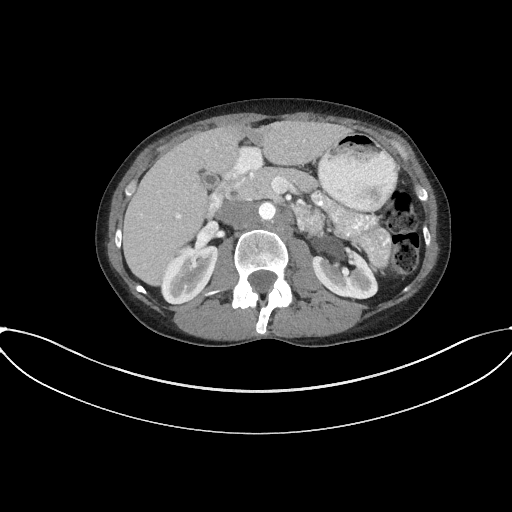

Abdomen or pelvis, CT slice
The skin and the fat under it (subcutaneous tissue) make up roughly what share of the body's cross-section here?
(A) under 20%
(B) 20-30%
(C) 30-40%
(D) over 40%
Answer: (A) under 20%
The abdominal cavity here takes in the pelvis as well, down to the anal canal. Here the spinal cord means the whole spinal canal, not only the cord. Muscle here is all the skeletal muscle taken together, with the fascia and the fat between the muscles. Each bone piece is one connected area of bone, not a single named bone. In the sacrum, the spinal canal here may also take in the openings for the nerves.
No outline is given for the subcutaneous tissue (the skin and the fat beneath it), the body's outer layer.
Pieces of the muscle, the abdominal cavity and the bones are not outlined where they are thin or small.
bones 1: (260, 334) (266, 332) (271, 311) (275, 307) (289, 305) (292, 302) (293, 295) (284, 274) (288, 262) (288, 252) (284, 242) (272, 231) (254, 229) (242, 233) (235, 245) (234, 263) (239, 277) (232, 289) (232, 306) (234, 308) (255, 308) (258, 306) (259, 313) (256, 331) with a hole at (259, 293) (266, 293) (268, 292) (271, 289) (272, 287) (272, 284) (276, 278) (276, 275) (273, 272) (271, 271) (269, 271) (268, 270) (258, 270) (257, 271) (255, 271) (253, 272) (249, 275) (248, 277) (248, 280) (250, 282) (252, 286) (252, 288) (253, 290)
bones 2: (422, 201) (426, 201) (427, 200) (427, 199) (428, 198) (428, 195) (427, 194) (427, 192) (426, 191) (426, 190) (423, 187) (422, 187) (419, 185) (415, 185) (415, 190) (416, 191) (416, 193) (417, 194) (417, 195) (418, 196) (418, 197) (419, 198) (419, 199)
bones 3: (404, 160) (406, 160) (408, 157) (408, 155) (407, 154) (407, 152) (405, 150) (404, 147) (402, 145) (401, 145) (398, 142) (397, 142) (394, 140) (392, 140) (391, 141) (391, 142) (393, 144) (393, 145) (396, 148) (396, 149) (398, 151) (399, 154) (402, 157) (402, 158)
muscle: (214, 340) (238, 340) (260, 335) (255, 331) (258, 307) (234, 309) (231, 306) (231, 289) (238, 277) (233, 263) (233, 238) (218, 246) (216, 267) (205, 290) (218, 288) (220, 291) (217, 294) (205, 297) (202, 293) (189, 302) (174, 305) (158, 301) (147, 293) (140, 293) (135, 290) (137, 283) (123, 265) (121, 249) (117, 249) (113, 241) (129, 199) (123, 193) (124, 187) (132, 179) (136, 183) (145, 169) (184, 139) (220, 125) (250, 123) (265, 118) (316, 119) (341, 123) (373, 135) (395, 157) (414, 187) (419, 184) (427, 190) (429, 198) (421, 202) (431, 244) (425, 249) (419, 273) (407, 286) (409, 290) (402, 290) (393, 298) (371, 306) (340, 298) (326, 290) (313, 273) (307, 244) (300, 239) (287, 238) (285, 242) (289, 262) (285, 274) (294, 299) (289, 306) (272, 311) (265, 334) (284, 337) (326, 336) (345, 331) (412, 296) (423, 285) (436, 262) (439, 249) (436, 239) (436, 199) (405, 139) (393, 131) (359, 120) (311, 111) (277, 115) (241, 112) (214, 116) (183, 126) (149, 144) (138, 154) (111, 200) (106, 243) (111, 266) (136, 298) (167, 317) (179, 329) with a hole at (404, 160) (406, 160) (408, 157) (408, 155) (407, 154) (407, 152) (405, 150) (404, 147) (402, 145) (401, 145) (398, 142) (397, 142) (394, 140) (392, 140) (391, 141) (391, 142) (393, 144) (393, 145) (396, 148) (396, 149) (398, 151) (399, 154) (402, 157) (402, 158)
torso: (209, 347) (260, 339) (302, 347) (331, 346) (387, 333) (420, 311) (449, 261) (451, 213) (440, 181) (403, 128) (373, 112) (334, 101) (261, 97) (217, 104) (190, 113) (152, 132) (131, 150) (112, 175) (99, 202) (94, 232) (99, 266) (121, 302) (142, 325) (168, 338)
abdominal cavity: (371, 305) (393, 297) (418, 273) (425, 215) (407, 174) (365, 132) (333, 122) (287, 119) (213, 128) (184, 140) (145, 170) (124, 210) (124, 265) (158, 300) (193, 299) (209, 284) (222, 241) (233, 237) (235, 244) (242, 232) (265, 228) (284, 241) (303, 239) (326, 289)
spinal cord: (259, 293) (266, 293) (268, 292) (271, 289) (272, 287) (272, 284) (276, 278) (276, 275) (273, 272) (271, 271) (269, 271) (268, 270) (258, 270) (257, 271) (255, 271) (253, 272) (249, 275) (248, 277) (248, 280) (250, 282) (252, 286) (252, 288) (253, 290)